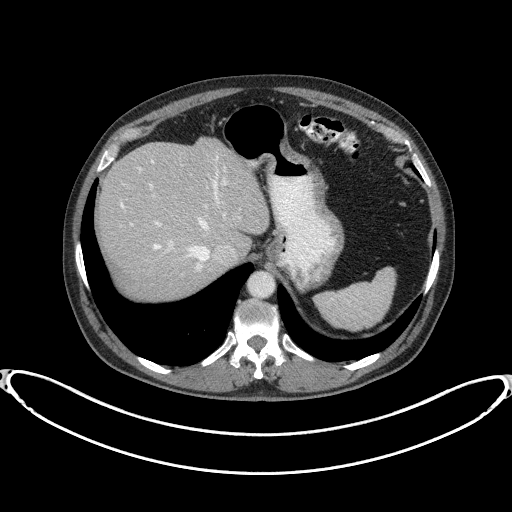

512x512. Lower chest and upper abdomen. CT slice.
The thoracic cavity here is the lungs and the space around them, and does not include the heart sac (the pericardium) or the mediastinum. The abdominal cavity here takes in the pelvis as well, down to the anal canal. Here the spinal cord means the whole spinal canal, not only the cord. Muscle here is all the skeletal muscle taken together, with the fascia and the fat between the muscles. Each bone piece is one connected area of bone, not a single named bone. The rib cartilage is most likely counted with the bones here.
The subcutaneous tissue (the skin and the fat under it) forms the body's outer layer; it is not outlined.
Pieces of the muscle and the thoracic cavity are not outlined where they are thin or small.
{"muscle":[[[213,392],[235,390],[259,380],[252,376],[252,362],[243,357],[238,368],[232,367],[228,363],[231,350],[205,367],[198,363],[182,367],[165,366],[172,369],[166,375],[151,371],[142,366],[135,354],[113,333],[91,293],[82,283],[74,262],[73,246],[80,239],[81,217],[90,186],[103,171],[95,171],[102,152],[116,135],[128,127],[142,125],[146,128],[144,135],[159,122],[184,110],[254,88],[301,96],[366,122],[373,119],[398,130],[410,140],[432,181],[428,189],[436,215],[436,245],[441,253],[437,276],[428,293],[424,296],[422,292],[417,311],[404,331],[381,351],[382,355],[374,363],[366,367],[349,371],[342,367],[349,362],[319,359],[309,362],[288,352],[285,352],[288,360],[276,366],[269,356],[262,365],[263,380],[286,392],[311,392],[350,383],[400,354],[421,330],[433,304],[444,250],[444,210],[434,176],[424,157],[409,134],[395,123],[360,104],[319,90],[295,86],[226,87],[170,102],[123,125],[104,144],[84,179],[73,215],[72,253],[80,305],[98,337],[124,361],[169,384]]],"thoracic_cavity":[[[172,366],[198,362],[222,343],[227,330],[231,328],[239,289],[252,271],[253,265],[246,263],[239,266],[197,294],[178,302],[143,305],[126,300],[110,282],[93,232],[92,212],[97,178],[88,194],[81,225],[84,263],[92,295],[108,325],[134,353]],[[326,361],[351,361],[385,348],[403,331],[409,323],[416,311],[421,296],[416,298],[404,313],[393,324],[381,333],[361,340],[341,341],[326,338],[312,331],[301,320],[286,291],[281,285],[279,285],[278,304],[282,328],[289,334],[298,346],[315,357]]],"abdominal_cavity":[[[341,340],[369,337],[393,323],[421,295],[431,259],[435,215],[427,187],[413,171],[403,146],[377,128],[301,97],[254,89],[159,123],[121,148],[98,178],[94,232],[111,282],[123,297],[143,304],[174,302],[239,265],[259,263],[278,278],[312,330]]],"bones":[{"outer":[[257,379],[262,378],[261,365],[269,355],[276,365],[287,360],[285,351],[309,361],[316,358],[281,330],[275,305],[250,298],[236,305],[232,328],[223,343],[199,363],[205,366],[231,349],[229,363],[238,367],[239,360],[246,357],[254,363],[253,376]],"hole":[[256,351],[258,351],[265,344],[265,343],[266,342],[266,341],[265,340],[265,339],[264,339],[263,338],[262,338],[261,337],[260,337],[259,336],[254,336],[253,337],[252,337],[248,341],[248,344],[250,346],[251,346]]},[[428,186],[431,186],[431,181],[417,154],[412,150],[412,147],[409,140],[398,131],[388,126],[381,123],[377,123],[373,120],[370,121],[370,124],[375,125],[388,139],[406,147],[408,153],[410,154],[410,159],[413,165],[419,172],[424,182]],[[97,172],[100,172],[109,165],[117,155],[121,147],[120,146],[122,143],[127,141],[131,141],[133,139],[139,137],[143,134],[145,128],[142,126],[131,127],[124,130],[116,136],[114,139],[114,141],[103,152],[103,154],[96,168],[96,171]],[[424,295],[427,293],[431,285],[433,283],[438,270],[438,267],[439,266],[439,258],[440,257],[440,253],[438,248],[436,246],[432,255],[432,259],[430,263],[430,266],[428,270],[428,273],[426,277],[426,280],[424,283],[424,289],[423,290],[423,294]],[[90,292],[90,288],[87,281],[87,278],[85,273],[85,268],[83,263],[83,256],[81,250],[81,243],[80,240],[77,240],[75,242],[75,245],[74,246],[75,262],[76,263],[76,266],[78,272],[83,281],[83,283],[86,289]],[[349,370],[355,370],[358,368],[360,368],[361,367],[366,366],[374,362],[381,355],[381,353],[380,352],[377,352],[374,354],[369,355],[361,359],[359,359],[355,361],[352,361],[349,363],[346,363],[344,364],[343,365],[343,367]],[[164,374],[169,373],[171,371],[171,369],[170,368],[165,367],[162,365],[160,365],[157,363],[155,363],[152,361],[150,361],[147,359],[145,359],[140,356],[136,355],[136,358],[137,360],[142,365],[147,367],[151,370],[153,370],[159,373],[163,373]]],"spinal_cord":[[[256,351],[258,351],[265,344],[265,343],[266,342],[266,341],[265,340],[265,339],[264,339],[263,338],[262,338],[261,337],[260,337],[259,336],[254,336],[253,337],[252,337],[248,341],[248,344],[250,346],[251,346]]],"mediastinum":[[[278,308],[277,286],[279,284],[279,282],[277,280],[277,278],[269,270],[266,270],[265,268],[260,266],[259,264],[254,264],[253,271],[248,276],[246,281],[240,289],[236,304],[239,301],[246,298],[255,297],[258,299],[261,299],[264,301],[275,304]]],"torso":[[[238,401],[329,396],[396,372],[425,345],[452,287],[453,203],[429,147],[415,126],[395,108],[337,80],[291,73],[239,74],[192,81],[158,93],[125,111],[103,132],[83,163],[66,204],[62,229],[63,280],[78,326],[96,355],[115,370],[163,389]]]}